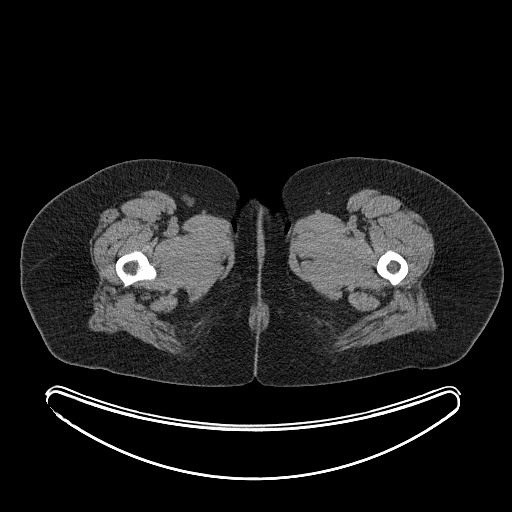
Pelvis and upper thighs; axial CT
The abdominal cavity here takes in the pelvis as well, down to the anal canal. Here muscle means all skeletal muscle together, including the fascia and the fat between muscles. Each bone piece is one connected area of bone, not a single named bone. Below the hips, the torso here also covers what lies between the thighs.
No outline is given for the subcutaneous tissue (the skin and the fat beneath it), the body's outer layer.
Outlined structures:
right leg: 138,158 160,158 207,165 227,175 239,190 241,203 238,229 256,259 259,272 256,379 247,384 229,387 178,385 71,365 50,353 29,313 20,289 19,262 22,240 32,219 49,200 67,187 106,166
abdominal cavity: 255,309 262,309 263,310 264,310 265,311 265,318 263,320 263,321 262,322 262,324 261,325 254,325 254,323 253,322 253,321 251,319 251,315 252,314 252,313 253,312 253,311
muscle 1: 374,186 386,187 400,193 430,223 435,254 422,286 437,327 431,331 414,331 368,346 329,353 324,349 328,330 325,322 344,329 356,319 289,274 285,262 288,239 297,219 317,209 336,211 353,193; inner edge: 387,250 393,250 399,253 406,260 407,262 407,265 408,266 408,271 407,272 407,274 405,276 405,277 398,284 396,285 393,285 387,279 382,277 377,272 376,270 376,264 378,261 378,259 380,257 380,256
muscle 2: 149,189 169,194 184,215 208,209 232,226 235,255 228,275 192,308 176,311 181,324 189,314 203,320 199,352 192,356 167,353 124,333 95,333 86,327 92,312 90,300 98,282 89,241 99,214 130,193, around a hole outlined by 134,250 139,250 145,254 149,262 154,266 156,270 156,276 155,278 152,280 139,280 138,281 134,282 128,286 124,286 123,282 117,275 117,273 115,269 115,263 116,262 116,260 120,256 126,253 131,252
muscle 3: 257,303 260,303 261,304 266,304 268,306 268,314 269,315 269,319 268,320 268,327 267,328 265,328 264,329 256,329 255,330 252,330 248,325 248,323 247,322 247,315 248,314 249,309 253,305 254,305, around a hole outlined by 255,309 262,309 263,310 264,310 265,311 265,318 263,320 263,321 262,322 262,324 261,325 254,325 254,323 253,322 253,321 251,319 251,315 252,314 252,313 253,312 253,311
left leg: 348,156 387,158 421,169 450,186 477,211 492,231 503,261 504,277 499,301 472,347 453,364 436,369 406,368 316,386 262,385 257,380 256,337 260,298 258,260 276,235 281,220 279,208 282,187 301,168
torso: 250,196 257,197 261,202 265,202 273,210 279,209 279,214 280,215 280,220 277,229 275,231 275,235 272,238 267,248 259,256 257,261 257,259 252,250 244,241 239,229 239,214 241,209 241,204
bones 1: 134,250 139,250 145,254 149,262 154,266 156,270 156,276 155,278 152,280 139,280 138,281 134,282 128,286 124,286 123,282 117,275 117,273 115,269 115,263 116,262 116,260 120,256 126,253 131,252
bones 2: 387,250 393,250 399,253 406,260 407,262 407,265 408,266 408,271 407,272 407,274 405,276 405,277 398,284 396,285 393,285 387,279 382,277 377,272 376,270 376,264 378,261 378,259 380,257 380,256